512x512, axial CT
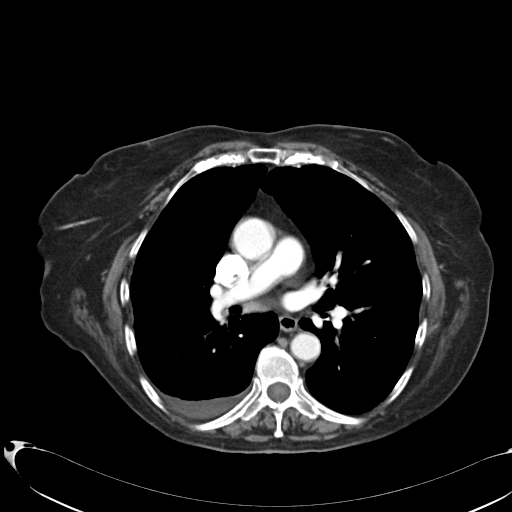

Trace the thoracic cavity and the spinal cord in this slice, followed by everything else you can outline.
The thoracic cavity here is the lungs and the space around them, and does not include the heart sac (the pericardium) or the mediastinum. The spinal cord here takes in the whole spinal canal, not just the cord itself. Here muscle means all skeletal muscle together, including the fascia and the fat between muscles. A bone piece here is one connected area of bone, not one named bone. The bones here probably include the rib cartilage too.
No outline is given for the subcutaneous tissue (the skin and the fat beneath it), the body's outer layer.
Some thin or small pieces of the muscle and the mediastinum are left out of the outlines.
Outlines:
thoracic cavity: 249,163 329,167 373,193 413,245 422,289 413,349 363,413 338,412 305,386 322,345 301,320 320,280 307,239 260,185 214,274 243,306 276,316 248,392 193,421 164,404 142,366 129,283 144,239 191,178
spinal cord: 277,382 280,382 281,383 283,383 287,385 287,386 289,388 289,394 288,396 282,401 275,401 273,400 269,397 268,395 268,393 267,392 268,387 270,385 274,383 276,383
mediastinum: 259,186 273,196 306,239 319,280 319,291 310,309 300,320 300,325 318,338 321,350 304,375 285,349 268,344 278,334 277,316 271,311 254,312 222,289 215,277 216,266 227,247 232,229 254,199
bones 1: 266,345 277,346 293,358 305,388 320,403 365,420 354,425 321,416 311,419 289,407 281,418 283,435 275,437 276,418 273,410 265,406 246,421 238,418 210,430 193,429 191,424 221,416 249,392 258,355; inner edge: 277,382 280,382 281,383 283,383 287,385 287,386 289,388 289,394 288,396 282,401 275,401 273,400 269,397 268,395 268,393 267,392 268,387 270,385 274,383 276,383
bones 2: 253,147 309,151 313,154 321,154 329,159 335,159 362,178 372,192 351,177 322,164 307,163 278,166 269,162 249,162 215,166 196,174 178,188 163,208 163,204 172,188 196,162 226,152 245,152
bones 3: 140,375 142,375 144,376 149,381 149,382 151,384 153,388 161,398 161,400 163,404 165,406 166,409 168,411 168,413 166,413 164,412 160,408 159,408 148,397 148,396 142,388 139,382 139,379 138,378
bones 4: 409,366 413,366 413,371 407,383 405,385 403,389 400,392 400,393 391,402 390,402 388,404 385,404 384,403 385,402 385,400 389,395 393,387 395,385 395,384 397,382 399,378 402,375 404,371
bones 5: 125,324 127,324 133,330 133,333 134,334 134,338 135,339 135,344 136,345 136,352 133,356 131,356 129,354 129,352 126,346 126,342 125,341 125,335 124,334 124,326
bones 6: 395,209 398,209 405,216 405,217 413,228 416,234 416,236 417,237 417,242 416,243 413,244 405,228 403,226 403,225 401,223 401,222 399,220 397,216 394,213 394,210
bones 7: 424,318 426,318 427,319 427,327 426,328 426,334 425,335 425,338 424,339 424,341 422,345 420,347 420,348 418,349 414,347 414,342 415,341 415,337 416,336 416,333 417,332 418,326 420,322
bones 8: 144,228 148,228 149,229 148,230 145,237 143,239 143,240 139,247 139,249 138,250 135,257 134,258 130,258 129,257 129,252 131,249 132,244 134,242 134,241 136,239 136,238 139,235 140,232
bones 9: 122,278 125,278 126,279 126,280 128,282 128,288 129,289 129,301 128,302 127,302 124,305 122,305 122,304 121,303 121,301 120,300 120,282 121,281 121,280 122,279
bones 10: 424,273 426,273 427,274 427,275 428,276 428,277 429,278 429,282 430,283 430,294 429,295 429,298 428,299 428,300 426,300 425,299 424,299 422,297 422,291 423,290 423,289 422,288 422,275
torso: 304,123 395,133 467,181 481,207 481,231 494,263 489,315 477,354 437,409 367,443 323,452 233,453 170,439 132,411 81,353 44,325 39,313 43,263 35,249 38,215 61,185 110,149 203,124 275,131
muscle 1: 232,140 247,140 259,146 199,159 175,183 154,223 150,228 144,227 131,244 128,257 134,259 134,263 129,282 125,277 119,282 119,300 122,306 129,302 131,305 132,328 125,323 123,334 128,354 133,357 137,353 147,377 140,374 138,382 159,409 168,414 167,408 182,418 197,422 189,426 195,431 204,432 238,419 246,422 267,407 272,410 275,428 274,437 265,441 212,437 170,425 122,379 101,346 76,322 72,304 74,290 79,288 85,294 89,311 97,316 102,311 102,290 112,260 122,242 142,228 146,218 138,214 148,192 177,165 205,146
muscle 2: 280,141 320,144 377,177 396,194 401,210 426,234 445,285 445,312 450,315 454,311 459,291 455,286 456,280 465,281 469,293 466,317 425,385 396,412 386,415 371,426 325,440 283,438 284,412 294,408 311,420 321,417 329,422 355,426 366,420 359,415 371,410 384,400 385,405 391,403 404,389 414,371 413,365 407,367 414,348 420,349 425,341 428,319 424,317 420,321 419,311 422,298 426,301 430,298 431,283 426,272 421,275 417,264 414,250 414,245 418,242 417,234 398,208 393,211 390,209 362,177 337,159 309,150 291,150 272,146